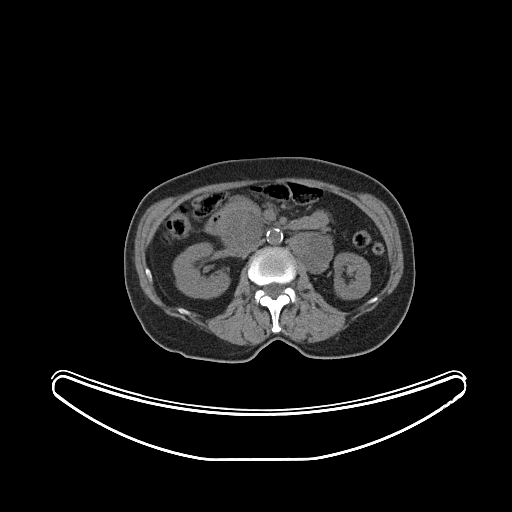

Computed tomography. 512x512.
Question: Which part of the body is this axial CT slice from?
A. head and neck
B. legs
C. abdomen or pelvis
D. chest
Answer: C. abdomen or pelvis
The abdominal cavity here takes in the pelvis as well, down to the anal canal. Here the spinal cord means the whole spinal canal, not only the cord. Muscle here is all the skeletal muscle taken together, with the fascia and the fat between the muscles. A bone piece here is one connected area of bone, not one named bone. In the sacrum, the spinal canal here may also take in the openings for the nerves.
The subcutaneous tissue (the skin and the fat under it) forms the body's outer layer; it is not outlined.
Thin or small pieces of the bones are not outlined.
The torso is outlined by 271 156; 313 157; 349 166; 374 177; 394 195; 409 223; 415 255; 415 285; 403 321; 374 350; 336 359; 304 356; 281 340; 274 340; 240 363; 193 359; 162 348; 143 330; 124 282; 124 242; 138 203; 158 184; 198 167; 229 159. The spinal cord is outlined by 274 282; 275 283; 278 283; 279 284; 283 284; 285 286; 282 291; 282 293; 279 294; 275 298; 273 298; 272 297; 271 297; 269 295; 266 294; 263 289; 263 287; 265 285; 267 285; 268 284; 270 284; 271 283; 273 283. The muscle is outlined by 281 177; 311 178; 354 192; 366 192; 389 208; 398 227; 404 267; 395 289; 377 307; 322 341; 299 342; 278 333; 282 329; 279 324; 282 308; 297 301; 296 291; 290 285; 297 275; 296 260; 304 266; 313 288; 342 311; 353 310; 365 302; 367 305; 374 303; 391 270; 390 249; 369 215; 345 197; 316 185; 291 180; 257 182; 196 193; 161 220; 146 251; 144 273; 148 281; 153 281; 157 294; 166 304; 186 316; 191 315; 190 311; 206 318; 222 312; 232 300; 242 269; 248 263; 247 277; 257 287; 254 301; 267 308; 273 333; 255 345; 233 344; 165 314; 146 296; 135 269; 134 240; 139 220; 150 205; 209 184. The abdominal cavity is outlined by 289 181; 345 198; 375 223; 389 249; 390 263; 387 281; 376 295; 353 309; 342 310; 314 288; 305 266; 287 246; 267 245; 250 256; 231 300; 215 315; 206 317; 169 305; 160 297; 148 266; 147 251; 160 223; 172 210; 204 192. The bones are outlined by 267 246; 287 247; 296 261; 296 275; 289 283; 295 291; 296 301; 290 302; 281 308; 278 317; 278 324; 281 329; 277 333; 274 333; 271 330; 272 318; 268 308; 255 301; 254 294; 258 287; 250 280; 247 273; 251 256; 259 249; inner edge: 274 282; 275 283; 278 283; 279 284; 283 284; 285 286; 282 291; 282 293; 279 294; 275 298; 273 298; 272 297; 271 297; 269 295; 266 294; 263 289; 263 287; 265 285; 267 285; 268 284; 270 284; 271 283; 273 283.